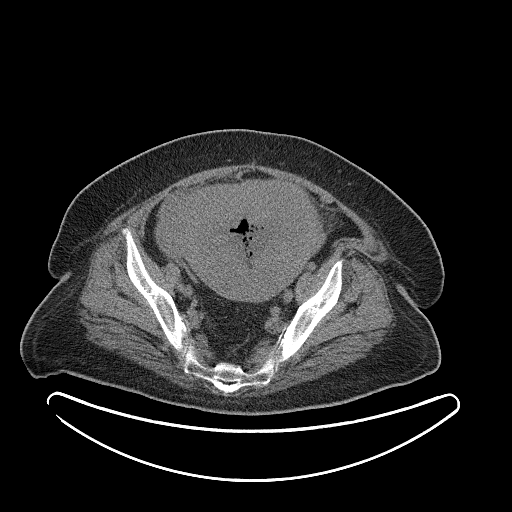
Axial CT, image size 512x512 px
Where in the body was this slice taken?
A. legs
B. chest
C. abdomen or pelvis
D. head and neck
Answer: C. abdomen or pelvis
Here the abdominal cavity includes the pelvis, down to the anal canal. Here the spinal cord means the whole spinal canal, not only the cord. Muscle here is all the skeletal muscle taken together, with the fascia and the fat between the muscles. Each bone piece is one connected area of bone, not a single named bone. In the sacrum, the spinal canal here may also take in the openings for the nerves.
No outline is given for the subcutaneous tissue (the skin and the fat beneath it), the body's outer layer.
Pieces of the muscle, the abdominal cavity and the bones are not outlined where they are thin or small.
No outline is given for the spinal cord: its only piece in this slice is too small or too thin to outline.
Outlines:
bones: 124,227 130,229 150,277 171,295 183,316 189,329 185,341 209,365 226,361 252,372 278,354 275,344 284,327 339,259 343,259 341,290 334,306 298,350 279,364 266,385 224,393 184,372 184,358 127,273
muscle 1: 253,160 260,165 298,174 319,185 377,231 388,254 381,265 382,276 396,317 386,338 367,356 344,367 286,389 249,397 226,397 182,387 86,339 86,329 77,314 78,299 88,273 94,235 125,210 183,177 with a hole at 244,170 307,188 361,237 336,239 317,270 297,280 301,304 343,259 338,299 298,350 266,385 224,393 184,372 184,358 127,273 121,230 130,229 150,277 173,295 178,266 159,266 142,244 151,210 175,188
muscle 2: 266,341 275,342 274,344 276,346 278,346 279,348 278,353 275,355 270,355 267,357 259,367 252,371 249,371 247,369 244,368 245,367 244,366 246,362 252,355 255,348 258,346 260,343 265,342
muscle 3: 189,332 193,335 198,334 202,336 205,336 208,339 208,342 210,348 213,352 213,356 215,360 215,362 213,364 206,363 206,362 203,361 201,358 200,359 199,356 197,354 195,346 191,342 186,341 186,338
abdominal cavity: 244,170 307,188 350,218 361,237 336,239 317,270 299,277 299,305 289,323 275,341 260,342 243,368 231,361 216,362 209,339 190,331 172,296 181,277 178,266 171,261 159,266 142,238 151,210 172,190
torso: 231,128 314,141 376,177 421,218 444,270 439,299 422,310 439,344 438,368 347,403 267,415 183,407 65,372 33,377 20,354 20,339 35,308 57,282 48,272 48,257 73,198 98,176 150,148 193,133